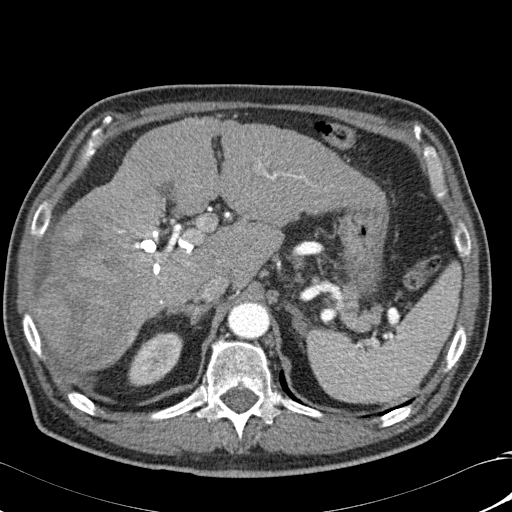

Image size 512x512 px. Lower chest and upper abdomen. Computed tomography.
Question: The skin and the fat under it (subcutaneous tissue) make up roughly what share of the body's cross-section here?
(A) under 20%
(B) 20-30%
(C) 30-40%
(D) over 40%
Answer: (A) under 20%
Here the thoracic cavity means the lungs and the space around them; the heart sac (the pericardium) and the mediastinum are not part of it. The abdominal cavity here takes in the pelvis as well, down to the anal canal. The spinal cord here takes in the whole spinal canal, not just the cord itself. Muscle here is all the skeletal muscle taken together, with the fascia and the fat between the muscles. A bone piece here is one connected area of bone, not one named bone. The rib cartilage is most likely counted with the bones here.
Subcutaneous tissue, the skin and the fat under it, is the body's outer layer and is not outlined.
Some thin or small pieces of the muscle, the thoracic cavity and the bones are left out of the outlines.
Outlined structures:
thoracic cavity 1: 193,387 195,387 193,390 187,396 184,397 181,400 173,404 158,409 154,409 148,411 112,411 96,405 88,397 93,398 96,400 116,407 142,407 143,406 148,406 155,404 167,397 169,397 179,392 187,390
thoracic cavity 2: 271,370 274,370 278,372 280,372 281,371 283,373 287,387 289,389 289,390 303,403 301,403 298,401 294,400 285,393 284,394 281,390 278,389 276,387 277,386 274,383 274,381 273,380 273,374
thoracic cavity 3: 408,400 412,400 410,403 408,403 404,405 401,405 400,406 398,406 395,408 393,408 391,410 379,416 377,416 378,414 386,410 389,410 392,408 394,408 396,406 398,406
torso: 180,83 357,88 416,102 444,125 457,148 483,220 490,254 492,293 481,356 453,410 427,441 352,467 285,477 234,479 151,470 112,461 67,445 38,429 3,327 6,256 20,205 55,146 87,107 120,92
spinal cord: 240,383 246,389 248,389 250,390 257,397 257,399 256,401 246,410 242,412 236,412 234,411 231,408 230,408 223,401 223,400 221,399 221,395 226,393 230,389 232,388 234,388 235,387 238,387
bones 1: 227,334 226,340 259,343 269,361 275,387 294,401 323,412 323,416 312,417 279,405 280,412 271,424 251,415 240,440 228,418 208,421 196,415 199,407 168,418 149,419 149,413 181,401 201,383 211,344 with a hole at 240,383 246,389 248,389 250,390 257,397 257,399 256,401 246,410 242,412 236,412 234,411 231,408 230,408 223,401 223,400 221,399 221,395 226,393 230,389 232,388 234,388 235,387 238,387
bones 2: 425,144 430,144 435,148 443,167 443,173 444,174 444,178 445,179 445,186 447,189 447,192 440,200 438,199 435,195 435,193 434,192 434,185 430,179 426,160 423,156 423,147
bones 3: 108,115 112,117 112,120 103,127 103,132 101,136 100,143 95,148 96,149 93,155 91,156 89,160 83,167 81,168 77,163 77,157 80,148 90,135 90,132 94,128 98,126 101,126 102,125 102,120
bones 4: 459,325 462,325 465,329 465,332 466,333 466,343 465,344 464,349 457,361 448,371 444,372 443,371 443,369 446,365 445,357 448,351 448,349 450,346 450,344 452,341 452,339 454,336 454,334
bones 5: 44,200 48,200 49,202 52,205 52,212 51,213 51,217 49,220 49,223 47,226 47,228 45,230 43,235 39,239 35,236 30,234 30,228 31,227 31,223 33,219 33,216 38,206
bones 6: 26,312 31,316 33,320 33,322 35,325 35,327 38,332 38,334 40,338 40,341 41,342 41,348 42,349 42,353 44,356 44,359 41,359 31,348 24,334 23,327 22,326 22,318 23,317 23,315
bones 7: 459,220 461,220 465,224 468,230 468,232 469,233 469,236 470,237 470,241 471,242 471,250 470,251 470,254 469,256 465,256 462,258 460,256 458,252 456,244 454,241 454,229 457,226 457,223
bones 8: 408,404 411,404 412,405 412,409 411,410 411,412 408,416 400,421 398,421 391,425 389,425 385,427 379,427 379,423 380,422 379,421 375,421 374,420 374,419 391,411 393,409 395,409 398,407 404,406
bones 9: 73,390 74,391 77,391 81,394 84,395 90,400 91,400 95,404 95,405 97,407 97,410 96,411 96,414 95,415 91,415 84,412 82,410 75,407 70,402 70,401 68,399 67,394 69,392
abdominal cavity: 236,108 329,116 402,142 426,164 462,259 463,289 445,356 413,399 375,416 322,411 290,390 259,342 226,339 227,333 210,344 199,384 148,405 86,396 54,369 32,317 31,276 64,192 96,150 124,131
muscle: 184,101 242,101 264,104 315,104 316,105 326,105 332,107 342,107 378,115 394,122 417,120 428,128 437,137 449,157 462,193 463,200 472,218 473,227 479,247 478,255 479,258 479,268 478,269 479,301 475,314 476,317 474,323 473,334 471,337 469,346 461,358 460,364 450,382 450,389 448,394 429,417 414,426 389,438 363,446 359,446 344,451 329,454 293,455 281,452 280,453 278,452 267,453 265,451 262,451 261,452 262,453 257,455 234,456 227,453 224,450 216,449 210,454 185,453 180,456 177,456 142,452 110,442 87,430 84,427 76,424 67,414 63,412 60,408 57,407 47,397 40,385 29,353 24,344 22,327 20,322 21,318 17,311 16,306 17,287 18,286 16,275 17,273 17,255 29,210 35,198 55,171 68,148 70,142 88,122 100,113 108,110 120,113 126,113 138,111 145,107 153,105; inner edges: 236,108 329,116 406,144 424,167 424,145 435,148 447,189 441,205 452,230 461,220 471,242 469,256 462,258 456,324 464,327 466,343 448,371 443,371 442,360 404,419 379,427 376,415 362,418 324,411 317,418 279,405 271,424 251,415 240,440 228,418 208,421 196,415 199,407 155,420 148,417 152,410 112,411 98,405 91,415 70,402 67,394 73,390 44,348 44,359 31,348 22,326 23,315 32,315 32,266 40,241 30,234 31,223 44,200 53,212 82,173 77,157 90,132 106,116 112,117 103,127 98,149 122,132 150,122, then 414,124 417,124 420,127 420,128 421,129 421,136 422,137 422,139 420,141 418,141 415,138 415,136 414,135 414,132 413,131 413,126 414,125